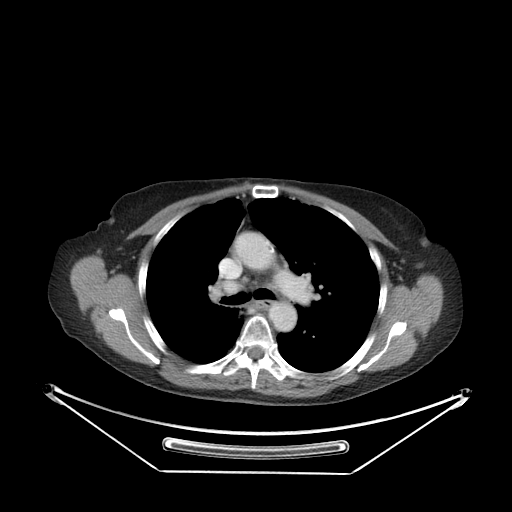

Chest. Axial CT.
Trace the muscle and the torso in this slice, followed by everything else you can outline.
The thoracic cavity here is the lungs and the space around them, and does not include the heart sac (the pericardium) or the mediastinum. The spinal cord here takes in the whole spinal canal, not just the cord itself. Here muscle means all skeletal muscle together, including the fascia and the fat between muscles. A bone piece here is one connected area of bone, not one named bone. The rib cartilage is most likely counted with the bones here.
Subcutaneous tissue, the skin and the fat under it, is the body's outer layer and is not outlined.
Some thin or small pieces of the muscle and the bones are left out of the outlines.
Outlines (x, y in pixels):
muscle 1: (244, 182) (260, 183) (251, 187) (250, 195) (225, 197) (170, 218) (153, 237) (149, 261) (143, 259) (138, 268) (138, 294) (142, 299) (145, 296) (149, 312) (142, 315) (142, 321) (163, 354) (169, 353) (167, 347) (194, 363) (184, 368) (188, 374) (229, 376) (242, 368) (250, 374) (251, 389) (182, 387) (154, 367) (116, 353) (97, 337) (77, 304) (70, 269) (79, 258) (99, 253) (108, 271) (133, 277) (149, 236) (126, 239) (129, 233) (173, 202); inner edge: (118, 307) (121, 308) (124, 311) (125, 317) (131, 335) (143, 348) (147, 351) (151, 352) (159, 359) (160, 361) (158, 364) (155, 364) (148, 357) (142, 353) (132, 343) (126, 332) (124, 324) (120, 320) (116, 320) (112, 318) (109, 315) (108, 311) (111, 308) (117, 308)
muscle 2: (275, 184) (291, 185) (326, 196) (368, 219) (394, 246) (376, 244) (386, 261) (394, 285) (411, 287) (426, 272) (440, 278) (444, 297) (438, 320) (406, 362) (388, 369) (366, 372) (353, 383) (314, 397) (290, 398) (253, 390) (261, 370) (266, 370) (278, 381) (286, 377) (303, 379) (310, 373) (322, 373) (326, 375) (326, 380) (332, 381) (355, 368) (357, 372) (363, 371) (386, 352) (394, 336) (401, 335) (407, 328) (405, 320) (396, 320) (388, 331) (383, 347) (367, 361) (361, 362) (376, 337) (374, 331) (369, 333) (374, 316) (376, 313) (382, 315) (388, 295) (387, 284) (379, 282) (378, 272) (382, 268) (379, 252) (371, 244) (367, 247) (356, 227) (340, 211) (325, 203) (320, 207) (279, 195) (279, 187)
torso: (240, 176) (352, 185) (387, 195) (411, 209) (422, 220) (428, 237) (451, 251) (459, 268) (464, 313) (454, 340) (415, 373) (363, 395) (324, 405) (268, 406) (158, 390) (116, 370) (69, 337) (46, 293) (54, 254) (64, 239) (93, 230) (108, 217) (121, 195) (145, 185)
bones 1: (256, 314) (266, 319) (280, 355) (293, 367) (309, 374) (303, 378) (286, 376) (278, 380) (266, 369) (261, 369) (257, 374) (255, 388) (252, 389) (251, 374) (245, 367) (229, 375) (185, 371) (189, 365) (210, 363) (228, 353) (233, 348) (246, 320); inner edge: (254, 346) (258, 346) (259, 347) (260, 347) (261, 348) (261, 349) (262, 350) (262, 351) (263, 352) (263, 353) (262, 354) (262, 356) (261, 357) (260, 357) (259, 358) (258, 358) (257, 359) (253, 359) (251, 357) (250, 357) (249, 356) (249, 350) (252, 347) (253, 347)
bones 2: (396, 321) (405, 321) (406, 328) (401, 334) (394, 335) (390, 339) (387, 349) (377, 360) (363, 370) (357, 371) (355, 367) (335, 379) (326, 379) (327, 375) (323, 373) (348, 360) (370, 333) (375, 333) (374, 340) (360, 362) (365, 363) (377, 354) (384, 347) (389, 331)
bones 3: (118, 307) (121, 308) (124, 311) (125, 317) (131, 335) (143, 348) (147, 351) (151, 352) (159, 359) (160, 361) (158, 364) (155, 364) (148, 357) (142, 353) (132, 343) (126, 332) (124, 324) (120, 320) (116, 320) (112, 318) (109, 315) (108, 311) (111, 308) (117, 308)
bones 4: (143, 315) (147, 315) (150, 317) (150, 319) (152, 321) (155, 328) (157, 330) (158, 333) (160, 335) (160, 336) (162, 338) (162, 339) (167, 346) (166, 347) (166, 349) (168, 353) (167, 354) (163, 353) (153, 342) (152, 339) (150, 337) (145, 327) (145, 325) (143, 321)
bones 5: (255, 184) (261, 184) (262, 185) (271, 185) (272, 184) (274, 184) (275, 185) (276, 185) (278, 187) (278, 195) (276, 197) (260, 197) (259, 198) (254, 198) (251, 195) (251, 189) (252, 188) (252, 187)
bones 6: (143, 260) (147, 260) (149, 262) (148, 263) (148, 267) (147, 268) (147, 274) (146, 275) (146, 280) (145, 281) (145, 295) (142, 298) (140, 296) (140, 295) (139, 294) (139, 290) (138, 289) (138, 272) (139, 271) (139, 268) (140, 267) (140, 265) (141, 264) (141, 263)
bones 7: (181, 212) (185, 212) (185, 214) (183, 216) (182, 216) (168, 230) (168, 231) (161, 238) (161, 239) (158, 242) (156, 246) (154, 247) (153, 246) (153, 240) (154, 239) (154, 237) (159, 231) (159, 230) (170, 219) (171, 219) (174, 216) (175, 216) (177, 214)
bones 8: (381, 283) (385, 283) (386, 284) (386, 285) (387, 286) (387, 295) (386, 296) (386, 301) (385, 302) (385, 305) (384, 306) (384, 309) (383, 310) (381, 315) (378, 315) (378, 314) (377, 313) (377, 307) (378, 306) (378, 302) (379, 301) (379, 291) (380, 290) (380, 284)
bones 9: (324, 204) (331, 207) (333, 209) (340, 212) (343, 215) (344, 215) (355, 227) (355, 228) (356, 229) (356, 232) (355, 231) (354, 231) (345, 222) (344, 222) (337, 216) (334, 215) (332, 213) (329, 212) (327, 210) (322, 208) (321, 207) (321, 206)
bones 10: (371, 245) (375, 247) (378, 252) (378, 254) (379, 255) (379, 258) (380, 259) (380, 263) (381, 264) (381, 268) (380, 269) (380, 271) (378, 271) (377, 270) (376, 268) (376, 266) (373, 262) (370, 256) (370, 254) (368, 250) (368, 247)
thoracic cavity 1: (278, 196) (319, 207) (345, 223) (366, 246) (377, 271) (378, 301) (368, 333) (348, 359) (327, 371) (308, 372) (297, 368) (278, 348) (278, 334) (291, 332) (298, 323) (297, 305) (301, 305) (304, 296) (305, 280) (292, 271) (282, 252) (254, 224) (248, 210) (255, 199)
thoracic cavity 2: (230, 197) (240, 200) (243, 215) (225, 254) (218, 262) (216, 281) (213, 285) (206, 287) (206, 295) (214, 304) (236, 308) (238, 316) (243, 319) (243, 324) (228, 352) (213, 361) (195, 363) (168, 347) (151, 319) (146, 298) (149, 263) (159, 242) (182, 217) (203, 205)
spinal cord: (254, 346) (258, 346) (259, 347) (260, 347) (261, 348) (261, 349) (262, 350) (262, 351) (263, 352) (263, 353) (262, 354) (262, 356) (261, 357) (260, 357) (259, 358) (258, 358) (257, 359) (253, 359) (251, 357) (250, 357) (249, 356) (249, 350) (252, 347) (253, 347)
mediastinum: (248, 195) (254, 199) (247, 205) (251, 221) (281, 252) (291, 271) (304, 280) (303, 296) (300, 305) (296, 305) (294, 329) (275, 337) (262, 314) (256, 313) (244, 322) (236, 307) (214, 303) (207, 295) (207, 287) (217, 281) (219, 262) (244, 215) (242, 202) (237, 197)